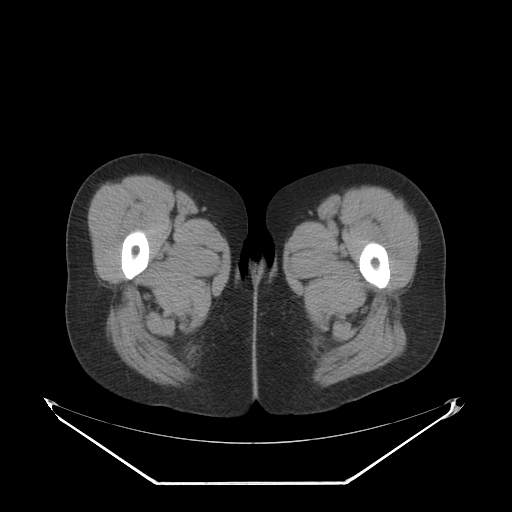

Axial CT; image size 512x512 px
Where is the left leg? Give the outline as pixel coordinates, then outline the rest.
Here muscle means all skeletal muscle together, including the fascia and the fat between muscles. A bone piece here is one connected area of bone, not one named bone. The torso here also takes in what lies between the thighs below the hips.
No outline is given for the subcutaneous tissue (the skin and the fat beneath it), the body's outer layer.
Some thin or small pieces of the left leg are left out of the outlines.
Outlines:
left leg: (349, 162) (374, 162) (400, 171) (424, 192) (433, 205) (442, 226) (446, 245) (444, 332) (431, 361) (412, 377) (341, 407) (304, 415) (298, 399) (285, 335) (265, 259) (265, 256) (270, 264) (274, 255) (274, 246) (265, 229) (265, 210) (274, 193) (286, 184) (317, 170)
muscle 1: (137, 173) (151, 173) (181, 187) (222, 228) (223, 236) (227, 240) (230, 249) (229, 278) (199, 333) (201, 367) (196, 383) (187, 390) (169, 389) (133, 373) (127, 369) (106, 337) (105, 327) (111, 292) (100, 284) (94, 273) (87, 213) (90, 200) (101, 184) (119, 176); inner edge: (135, 230) (141, 230) (145, 233) (145, 235) (147, 238) (148, 244) (149, 245) (149, 260) (148, 261) (147, 266) (144, 270) (136, 275) (133, 278) (131, 279) (127, 279) (125, 277) (121, 268) (121, 248) (122, 247) (122, 242) (126, 235) (130, 232) (134, 231)
muscle 2: (363, 183) (392, 187) (404, 197) (418, 223) (421, 246) (415, 274) (412, 284) (400, 297) (407, 347) (402, 356) (383, 366) (320, 388) (310, 381) (313, 364) (310, 361) (310, 345) (307, 340) (308, 319) (290, 294) (282, 269) (283, 247) (290, 232) (323, 199) (348, 186); inner edge: (369, 242) (376, 242) (381, 244) (385, 248) (387, 252) (388, 261) (389, 262) (389, 269) (390, 270) (390, 277) (387, 285) (384, 288) (379, 288) (373, 284) (368, 282) (364, 278) (359, 270) (358, 263) (359, 262) (359, 257) (360, 256) (360, 254) (364, 246)
right leg: (136, 152) (167, 155) (223, 179) (238, 191) (244, 201) (248, 216) (248, 232) (240, 257) (240, 270) (204, 384) (174, 409) (144, 405) (128, 400) (110, 392) (94, 381) (77, 361) (65, 325) (64, 305) (67, 282) (65, 231) (73, 197) (84, 179) (99, 165) (115, 157)
bones 1: (369, 242) (376, 242) (381, 244) (385, 248) (387, 252) (388, 261) (389, 262) (389, 269) (390, 270) (390, 277) (387, 285) (384, 288) (379, 288) (373, 284) (368, 282) (364, 278) (359, 270) (358, 263) (359, 262) (359, 257) (360, 256) (360, 254) (364, 246)
bones 2: (135, 230) (141, 230) (145, 233) (145, 235) (147, 238) (148, 244) (149, 245) (149, 260) (148, 261) (147, 266) (144, 270) (136, 275) (133, 278) (131, 279) (127, 279) (125, 277) (121, 268) (121, 248) (122, 247) (122, 242) (126, 235) (130, 232) (134, 231)
torso: (261, 254) (263, 254) (264, 256) (269, 273) (287, 348) (297, 399) (303, 415) (269, 414) (265, 412) (256, 402) (252, 405) (247, 414) (239, 417) (229, 418) (191, 414) (175, 410) (204, 386) (240, 271) (242, 275) (245, 273) (247, 262) (250, 256) (257, 259)